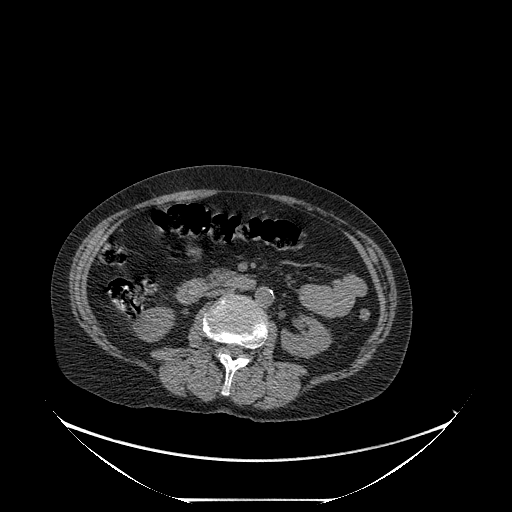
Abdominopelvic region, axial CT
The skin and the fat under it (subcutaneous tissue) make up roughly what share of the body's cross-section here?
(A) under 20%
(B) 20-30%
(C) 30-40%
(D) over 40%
(B) 20-30%
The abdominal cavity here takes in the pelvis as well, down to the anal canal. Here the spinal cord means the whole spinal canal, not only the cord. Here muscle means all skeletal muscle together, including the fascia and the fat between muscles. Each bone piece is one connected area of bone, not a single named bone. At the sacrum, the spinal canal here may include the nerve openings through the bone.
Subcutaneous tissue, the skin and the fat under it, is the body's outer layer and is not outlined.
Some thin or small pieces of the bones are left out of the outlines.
The abdominal cavity is outlined by 235,192 299,208 341,230 353,243 371,276 380,309 375,329 347,366 320,374 295,362 274,360 276,324 249,296 233,292 198,310 186,347 163,346 130,355 98,325 88,300 87,277 111,233 130,216 159,204. The muscle is outlined by 193,189 222,189 223,190 257,191 263,193 287,195 298,199 301,199 306,202 310,203 312,205 318,206 327,211 332,212 335,215 345,220 350,225 366,234 379,246 388,260 392,270 392,273 395,282 395,287 397,292 397,304 395,308 394,319 389,334 386,337 385,340 377,347 377,349 373,355 373,357 367,362 362,369 349,377 335,381 328,381 316,386 313,389 311,389 302,394 294,403 289,406 280,408 275,411 263,411 262,410 256,410 255,409 246,409 237,404 235,404 227,397 216,398 210,401 194,401 185,397 175,395 162,386 161,383 155,377 153,377 137,366 132,365 128,362 125,362 122,360 120,360 106,353 103,349 92,340 75,319 74,315 72,313 72,310 70,305 70,299 69,298 69,272 73,257 83,239 99,222 108,216 122,209 129,208 138,203 148,200 156,196 168,194 173,192 177,192 178,191 192,190; inner edge: 235,192 299,208 353,243 380,309 347,366 320,374 274,360 278,334 269,320 264,343 234,372 224,396 225,368 214,355 220,344 202,329 209,302 195,314 186,347 130,355 98,325 87,277 111,233 159,204. The bones are outlined by 227,293 239,294 249,297 258,307 265,312 268,323 267,337 264,343 251,352 250,362 234,372 229,388 229,395 224,396 221,394 221,390 225,379 225,368 214,355 220,344 205,335 202,329 202,318 210,304; inner edge: 228,344 235,344 236,345 238,345 239,346 241,346 242,347 243,347 245,349 245,353 243,355 240,355 239,356 238,356 237,357 236,357 235,358 233,358 227,352 226,352 226,347 225,346 225,345 227,345. The spinal cord is outlined by 228,344 235,344 236,345 238,345 239,346 241,346 242,347 243,347 245,349 245,353 243,355 240,355 239,356 238,356 237,357 236,357 235,358 233,358 227,352 226,352 226,347 225,346 225,345 227,345. The torso is outlined by 205,164 260,168 308,180 353,203 385,232 405,267 413,313 402,365 383,392 371,400 319,418 258,422 223,412 204,414 129,407 95,395 64,376 53,350 50,281 57,253 67,235 89,211 123,188 161,172.